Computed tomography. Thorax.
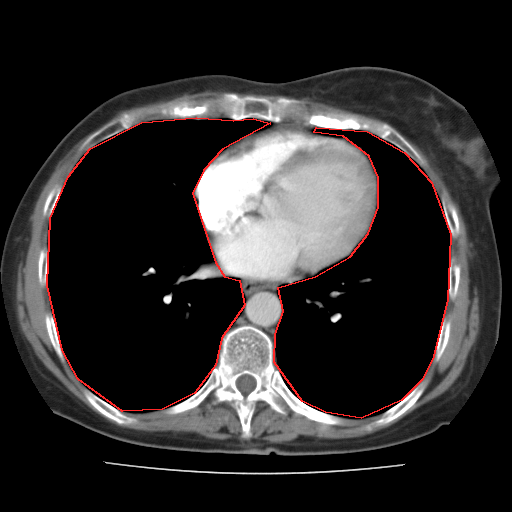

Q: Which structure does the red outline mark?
A: red: thoracic cavity.
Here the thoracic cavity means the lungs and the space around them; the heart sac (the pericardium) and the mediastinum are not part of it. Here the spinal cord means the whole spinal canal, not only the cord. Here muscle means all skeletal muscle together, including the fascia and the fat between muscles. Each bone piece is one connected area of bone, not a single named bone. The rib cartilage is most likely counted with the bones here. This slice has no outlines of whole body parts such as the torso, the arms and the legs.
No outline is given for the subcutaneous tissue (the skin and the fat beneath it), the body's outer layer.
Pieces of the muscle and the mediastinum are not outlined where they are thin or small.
{"thoracic_cavity":[[[196,117],[233,120],[253,118],[270,123],[222,149],[203,170],[192,193],[215,262],[224,276],[239,280],[244,305],[221,338],[215,365],[194,393],[162,409],[122,411],[78,379],[62,350],[47,285],[50,218],[68,176],[90,148],[141,122]],[[316,127],[367,131],[404,152],[431,182],[450,234],[447,300],[432,359],[421,380],[401,400],[361,418],[325,412],[302,401],[274,362],[275,334],[283,311],[278,287],[315,276],[350,256],[368,233],[378,207],[378,177],[369,156],[343,136],[314,132]]],"bones":[{"outer":[[242,325],[251,325],[270,338],[273,362],[296,397],[345,421],[315,421],[291,410],[284,402],[284,415],[258,400],[250,421],[252,435],[242,438],[240,419],[231,403],[214,404],[211,392],[193,408],[174,414],[165,412],[205,383],[217,363],[223,336]],"hole":[[245,374],[247,374],[248,375],[253,377],[255,379],[255,386],[254,387],[254,388],[250,392],[249,392],[246,395],[243,394],[239,390],[239,389],[237,387],[237,386],[236,385],[236,381],[237,380],[237,379],[240,376],[241,376],[242,375],[244,375]]},[[225,92],[273,101],[280,96],[295,98],[304,102],[308,114],[333,112],[387,123],[424,164],[420,166],[400,148],[367,130],[307,125],[301,115],[280,122],[233,119],[224,117],[212,105],[206,117],[169,118],[159,112],[162,106],[181,101],[201,105]],[[423,379],[428,379],[429,381],[425,389],[423,391],[422,394],[412,406],[407,409],[401,415],[400,415],[395,419],[385,424],[383,424],[380,426],[374,427],[369,431],[365,428],[365,426],[367,424],[375,420],[382,413],[401,401],[407,395],[408,395]],[[125,112],[127,113],[141,113],[142,114],[141,118],[142,121],[126,129],[121,130],[101,141],[99,141],[87,150],[86,147],[82,149],[80,148],[85,140],[97,130],[101,128],[105,128],[106,126],[108,126],[112,123],[116,123],[117,124],[119,118]],[[85,387],[95,395],[99,397],[102,400],[105,401],[107,403],[113,406],[118,410],[121,411],[126,415],[130,417],[133,417],[135,418],[136,419],[136,421],[130,424],[119,424],[115,421],[106,417],[104,415],[100,413],[87,400],[83,392],[83,390]],[[442,195],[444,195],[446,199],[449,202],[453,204],[456,209],[457,217],[458,218],[458,222],[459,223],[459,232],[456,237],[451,237],[450,230],[449,229],[449,227],[448,226],[448,224],[446,220],[446,217],[444,213],[443,206],[441,202],[441,196]],[[445,315],[447,315],[450,319],[450,331],[449,332],[449,337],[445,346],[445,348],[440,358],[438,361],[433,362],[432,360],[435,352],[435,349],[436,348],[436,345],[437,344],[437,341],[439,336],[439,332],[440,331],[441,324]],[[451,256],[453,256],[455,258],[455,261],[459,265],[459,266],[460,267],[460,273],[459,274],[459,282],[458,283],[457,292],[456,293],[456,295],[453,300],[450,300],[449,299],[448,299],[448,275],[449,274],[449,266],[450,265],[450,259],[451,258]],[[49,311],[51,311],[51,313],[53,317],[53,320],[54,321],[54,324],[55,325],[55,329],[57,333],[57,337],[60,344],[61,350],[65,358],[65,361],[63,362],[61,361],[58,357],[48,335],[48,332],[46,327],[46,323],[45,322],[45,314]],[[57,183],[60,183],[62,184],[62,188],[60,191],[59,196],[57,199],[57,201],[51,213],[51,215],[50,217],[49,218],[47,217],[44,217],[43,216],[43,207],[44,206],[44,204],[45,203],[46,198],[50,190],[54,186],[54,185]],[[44,247],[47,247],[47,253],[48,254],[48,271],[47,272],[47,284],[45,286],[42,286],[40,284],[40,283],[39,282],[39,278],[38,277],[38,260],[39,259],[39,253],[40,252],[40,250],[42,248],[43,248]]],"mediastinum":[[[238,278],[241,278],[250,282],[257,282],[272,285],[282,283],[291,283],[283,283],[282,284],[279,285],[276,290],[277,295],[281,302],[282,311],[275,330],[273,342],[271,338],[264,331],[251,324],[242,324],[230,328],[242,312],[245,305],[245,297],[241,289],[240,280]]],"muscle":[[[92,132],[80,145],[79,148],[86,148],[86,151],[63,185],[55,183],[45,198],[42,216],[49,219],[47,243],[38,253],[37,277],[48,291],[50,310],[44,314],[44,322],[50,343],[60,361],[67,362],[84,386],[82,392],[86,400],[100,414],[119,425],[130,425],[137,419],[123,412],[163,409],[170,415],[179,414],[195,408],[211,393],[214,405],[230,403],[239,419],[240,437],[248,439],[253,435],[251,421],[258,401],[284,416],[288,414],[284,403],[296,414],[326,425],[341,425],[345,418],[379,415],[364,426],[369,432],[412,407],[430,381],[423,378],[426,371],[432,361],[439,361],[450,337],[451,319],[444,314],[447,301],[455,299],[460,282],[461,267],[451,255],[451,238],[458,236],[460,223],[456,207],[444,194],[440,198],[421,167],[424,160],[404,137],[424,154],[457,203],[469,244],[482,264],[482,327],[461,390],[389,434],[328,443],[267,440],[255,446],[243,446],[192,441],[120,428],[94,415],[37,372],[16,311],[18,257],[29,240],[30,216],[36,201],[57,163]],[[203,91],[226,91],[216,98],[206,100],[201,104],[191,105],[189,101],[181,100],[162,105],[158,112],[167,118],[143,121],[143,114],[141,112],[125,111],[120,115],[117,123],[112,122],[105,127],[97,129],[120,111],[145,104],[166,101],[184,94]],[[302,98],[307,98],[312,101],[320,102],[347,111],[369,116],[372,118],[375,118],[385,122],[373,121],[367,118],[362,118],[351,114],[347,114],[341,112],[334,112],[333,111],[328,111],[325,113],[322,111],[308,113],[306,112],[305,102],[300,99]]],"pericardium":[[[272,126],[303,128],[316,134],[346,139],[360,147],[368,156],[375,171],[378,186],[377,207],[371,225],[365,236],[350,255],[321,270],[315,275],[291,282],[276,284],[250,281],[230,275],[218,265],[206,238],[193,195],[202,173],[222,150],[247,134]]],"spinal_cord":[[[245,374],[247,374],[248,375],[253,377],[255,379],[255,386],[254,387],[254,388],[250,392],[249,392],[246,395],[243,394],[239,390],[239,389],[237,387],[237,386],[236,385],[236,381],[237,380],[237,379],[240,376],[241,376],[242,375],[244,375]]]}